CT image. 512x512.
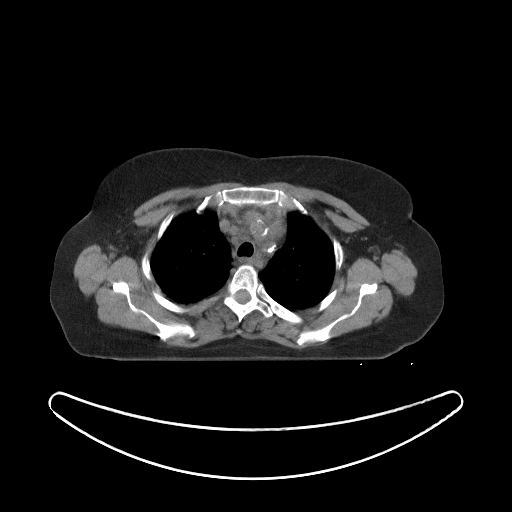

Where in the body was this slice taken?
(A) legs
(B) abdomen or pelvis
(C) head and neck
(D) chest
(D) chest
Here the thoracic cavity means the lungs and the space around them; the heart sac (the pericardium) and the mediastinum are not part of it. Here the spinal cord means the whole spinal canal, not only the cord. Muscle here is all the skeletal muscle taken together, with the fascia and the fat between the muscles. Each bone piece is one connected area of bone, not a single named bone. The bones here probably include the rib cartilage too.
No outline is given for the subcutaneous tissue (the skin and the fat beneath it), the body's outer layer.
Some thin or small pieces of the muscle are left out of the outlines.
{"torso":[[[164,147],[211,147],[255,157],[331,155],[363,162],[391,174],[410,192],[413,218],[431,234],[439,248],[444,285],[444,305],[439,317],[418,341],[374,360],[120,361],[77,353],[67,342],[49,301],[59,242],[89,211],[99,181],[115,164],[134,153]]],"bones":[{"outer":[[243,264],[251,265],[256,270],[258,279],[262,283],[266,292],[275,301],[298,314],[303,321],[301,323],[291,323],[275,314],[265,317],[259,310],[255,309],[238,322],[237,316],[220,299],[205,302],[204,308],[201,309],[202,302],[223,288],[235,270]],"hole":[[239,290],[245,290],[249,294],[249,295],[250,296],[250,298],[246,302],[245,302],[244,303],[241,303],[240,302],[239,302],[237,300],[236,300],[236,299],[235,298],[235,294]]},[[245,185],[281,189],[289,196],[299,201],[308,211],[308,215],[298,210],[290,211],[278,207],[275,204],[264,206],[244,204],[239,206],[229,203],[225,203],[220,207],[207,207],[198,214],[195,212],[195,208],[206,196],[212,195],[218,190]],[[114,281],[124,281],[127,283],[131,301],[137,308],[165,324],[171,322],[187,323],[194,329],[195,335],[190,338],[187,335],[177,334],[164,341],[161,340],[155,334],[158,330],[157,327],[143,314],[134,312],[130,308],[124,294],[113,290],[112,282]],[[373,282],[377,284],[375,292],[365,294],[356,311],[351,316],[340,320],[332,327],[330,330],[332,336],[329,339],[325,341],[308,341],[302,345],[299,345],[296,342],[296,339],[302,331],[321,328],[341,315],[348,313],[357,302],[361,284]],[[159,288],[161,291],[161,293],[166,298],[175,303],[181,304],[186,309],[186,310],[182,313],[178,313],[177,312],[174,312],[171,310],[169,310],[165,308],[163,306],[162,306],[159,303],[158,303],[152,295],[152,291],[153,290],[158,290]],[[332,237],[335,237],[340,242],[341,244],[341,246],[342,247],[342,250],[343,251],[343,260],[342,261],[342,263],[341,264],[341,266],[340,268],[337,271],[336,271],[335,269],[335,257],[334,256],[334,250],[333,249],[333,244],[331,240]],[[146,251],[148,252],[148,256],[149,257],[149,264],[150,265],[150,269],[151,270],[151,273],[154,278],[154,281],[150,281],[148,280],[146,278],[146,277],[144,275],[142,271],[142,268],[141,267],[141,258],[142,257],[142,255]],[[336,288],[338,289],[338,291],[335,297],[333,299],[333,300],[325,308],[324,308],[322,310],[320,311],[316,311],[316,309],[320,301],[323,298],[324,298],[329,293],[330,291]],[[173,211],[175,211],[175,216],[172,219],[172,220],[170,222],[170,223],[164,231],[164,232],[161,236],[161,237],[158,240],[157,240],[157,233],[158,232],[158,229],[160,226],[160,224],[162,222],[162,221],[164,219],[164,218],[168,214],[169,214]]],"mediastinum":[[[225,204],[239,207],[244,205],[255,205],[259,207],[275,205],[278,208],[289,211],[287,214],[286,239],[283,245],[274,252],[265,267],[258,272],[251,264],[243,263],[230,275],[230,269],[232,266],[231,248],[219,228],[217,214],[212,208],[220,208]]],"thoracic_cavity":[[[207,208],[210,208],[215,212],[218,228],[229,245],[231,259],[229,275],[231,276],[223,287],[214,294],[196,302],[186,304],[181,301],[169,298],[159,287],[152,273],[150,258],[156,243],[162,237],[175,217],[192,210],[194,210],[194,212],[199,215]],[[291,211],[298,211],[303,215],[309,216],[329,238],[332,244],[335,270],[328,293],[317,304],[298,310],[296,312],[287,308],[275,300],[267,292],[263,283],[260,281],[258,276],[258,273],[266,267],[275,252],[284,245],[287,239],[288,232],[288,214]]],"muscle":[[[228,181],[244,185],[218,189],[194,209],[176,216],[175,210],[168,213],[159,224],[150,257],[147,250],[141,255],[143,275],[158,286],[151,295],[165,309],[182,314],[187,309],[169,299],[188,305],[207,298],[201,302],[201,310],[205,303],[220,300],[238,323],[257,310],[265,318],[275,315],[301,324],[304,320],[298,311],[317,305],[315,311],[320,312],[334,300],[339,289],[330,290],[344,260],[342,244],[335,236],[330,239],[294,196],[281,188],[247,185],[276,181],[320,189],[347,202],[394,249],[401,249],[411,259],[417,268],[414,291],[396,299],[381,321],[330,339],[333,327],[351,317],[365,295],[376,292],[375,281],[361,283],[348,312],[321,327],[302,330],[295,339],[299,346],[327,341],[299,349],[238,335],[196,347],[168,346],[163,342],[177,335],[192,339],[195,329],[187,322],[159,321],[137,307],[124,280],[112,281],[112,290],[124,295],[129,308],[156,327],[154,334],[159,338],[101,322],[96,305],[80,291],[73,275],[79,253],[89,245],[100,245],[129,225],[134,210],[161,192]]],"spinal_cord":[[[239,290],[245,290],[249,294],[249,295],[250,296],[250,298],[246,302],[245,302],[244,303],[241,303],[240,302],[239,302],[237,300],[236,300],[236,299],[235,298],[235,294]]]}